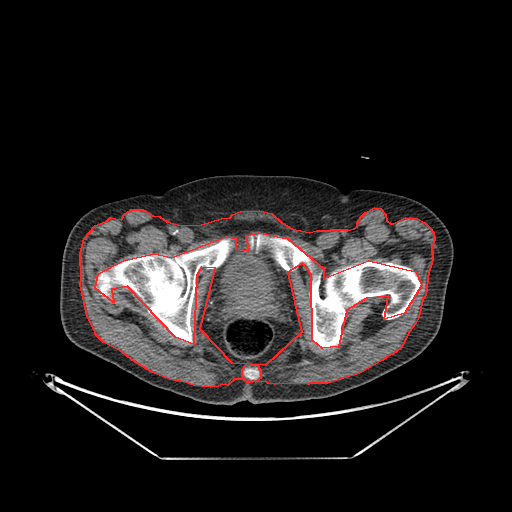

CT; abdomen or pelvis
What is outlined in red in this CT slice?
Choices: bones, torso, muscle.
red: muscle.
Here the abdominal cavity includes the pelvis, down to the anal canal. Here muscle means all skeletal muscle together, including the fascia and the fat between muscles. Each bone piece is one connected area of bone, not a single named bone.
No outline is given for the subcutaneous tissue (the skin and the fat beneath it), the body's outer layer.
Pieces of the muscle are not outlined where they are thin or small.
{"muscle":[{"outer":[[374,207],[380,208],[385,214],[386,220],[390,223],[393,223],[405,217],[417,218],[424,222],[430,228],[433,232],[434,239],[431,247],[432,259],[427,276],[426,290],[424,297],[422,299],[418,317],[415,323],[409,331],[400,348],[392,354],[390,354],[382,360],[359,373],[327,383],[309,383],[308,384],[279,383],[274,384],[268,383],[265,381],[261,382],[255,381],[261,377],[261,370],[257,365],[254,365],[244,366],[241,370],[241,375],[244,378],[252,381],[248,383],[243,379],[234,379],[227,385],[222,384],[218,386],[210,387],[193,385],[185,382],[169,379],[152,372],[132,360],[121,351],[103,342],[95,334],[95,331],[87,316],[80,284],[81,278],[80,253],[84,238],[95,225],[107,220],[110,217],[121,219],[124,214],[131,209],[142,209],[152,215],[159,216],[166,221],[181,225],[201,224],[221,218],[230,217],[232,214],[240,211],[259,210],[271,213],[281,222],[291,228],[309,232],[316,230],[330,230],[331,229],[346,229],[347,230],[354,228],[357,226],[357,222],[361,216],[365,212]],"hole":[[258,232],[287,238],[323,268],[323,278],[368,260],[415,271],[421,285],[404,313],[384,319],[388,296],[366,298],[346,310],[338,346],[322,348],[312,340],[311,274],[302,263],[287,272],[301,332],[265,365],[232,363],[200,329],[215,268],[201,267],[196,275],[193,344],[175,337],[127,286],[111,289],[113,302],[95,288],[98,273],[123,260],[154,253],[171,257],[226,236],[235,238],[235,248],[249,250],[246,235]]}],"torso":[[[226,174],[309,177],[345,193],[364,188],[404,195],[435,212],[449,230],[454,257],[442,321],[431,343],[400,367],[335,396],[213,405],[151,385],[71,342],[61,324],[59,293],[63,248],[75,222],[88,210],[106,202],[144,193],[161,194],[198,178]]],"bones":[[[258,232],[287,238],[323,268],[323,278],[337,267],[391,261],[415,271],[421,281],[419,291],[408,309],[390,320],[381,315],[387,295],[366,298],[348,308],[340,344],[319,347],[312,340],[311,274],[302,263],[286,271],[265,247],[252,249],[246,235]],[[226,236],[233,236],[236,243],[223,263],[214,269],[201,267],[196,275],[190,315],[193,344],[175,337],[162,322],[148,313],[144,304],[127,286],[118,284],[111,289],[113,302],[105,301],[95,288],[98,273],[123,260],[154,253],[171,257],[213,245]],[[254,366],[257,366],[259,368],[259,369],[260,370],[260,377],[258,379],[257,379],[256,380],[250,380],[249,379],[248,379],[247,378],[246,378],[245,377],[244,377],[242,375],[242,370],[243,369],[243,368],[244,367],[253,367]]],"abdominal_cavity":[[[249,246],[255,252],[263,248],[268,250],[271,257],[289,275],[295,313],[301,326],[301,332],[289,346],[265,365],[253,362],[246,362],[242,365],[232,363],[209,343],[198,323],[205,295],[210,291],[208,287],[216,269],[224,263],[234,248],[249,250]]]}